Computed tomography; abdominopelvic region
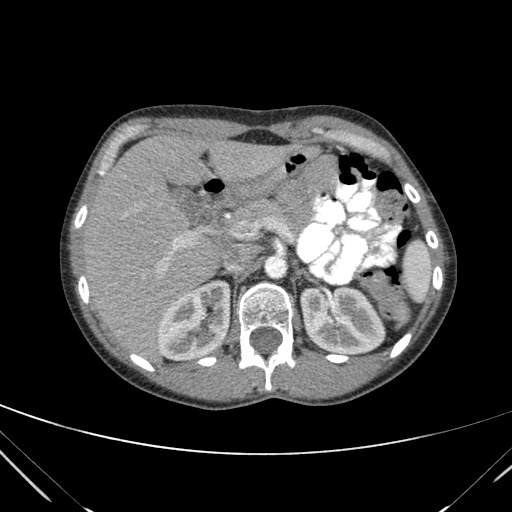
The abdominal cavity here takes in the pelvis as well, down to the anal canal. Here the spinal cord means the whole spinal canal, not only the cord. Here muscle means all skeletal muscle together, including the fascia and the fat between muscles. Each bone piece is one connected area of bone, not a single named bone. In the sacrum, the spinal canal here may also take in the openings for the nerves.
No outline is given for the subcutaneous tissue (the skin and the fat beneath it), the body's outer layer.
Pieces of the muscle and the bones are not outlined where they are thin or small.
{"torso":[[[206,410],[232,409],[271,398],[308,406],[350,401],[407,369],[442,324],[457,285],[451,231],[415,164],[391,132],[371,115],[329,103],[269,109],[156,104],[116,118],[92,149],[70,195],[59,237],[59,272],[69,310],[93,351],[123,380],[162,399]]],"spinal_cord":[[[261,354],[269,354],[272,351],[273,351],[280,343],[281,341],[281,334],[279,332],[279,331],[271,327],[260,327],[259,328],[257,328],[255,329],[251,333],[250,335],[250,343],[254,347],[254,348]]],"abdominal_cavity":[[[160,363],[193,361],[225,348],[239,297],[264,280],[289,293],[306,345],[348,355],[392,346],[423,305],[433,268],[423,229],[395,172],[339,142],[293,142],[265,130],[225,138],[172,129],[126,143],[88,210],[84,265],[90,298],[107,329],[131,351]]],"muscle":[{"outer":[[220,402],[231,401],[234,399],[244,399],[273,391],[285,391],[286,393],[291,396],[304,397],[308,399],[329,398],[350,392],[369,382],[378,375],[389,369],[396,363],[412,347],[413,344],[423,332],[425,327],[434,315],[440,303],[440,300],[445,288],[444,282],[446,277],[447,255],[445,252],[445,246],[443,243],[443,240],[433,218],[431,212],[431,207],[427,201],[426,194],[404,159],[399,152],[388,141],[377,135],[370,129],[354,122],[331,115],[313,115],[299,119],[285,120],[269,125],[247,125],[234,121],[224,120],[218,118],[204,118],[203,117],[189,117],[188,116],[178,116],[177,117],[176,116],[159,116],[158,117],[154,116],[139,116],[131,118],[120,124],[106,139],[95,157],[89,170],[87,178],[84,183],[84,186],[77,204],[72,214],[68,234],[69,239],[68,243],[69,260],[72,275],[74,277],[73,286],[77,301],[83,317],[94,335],[102,344],[104,348],[111,355],[115,357],[119,361],[136,370],[148,380],[166,389],[179,394],[207,401],[219,401]],"hole":[[267,391],[271,391],[275,366],[295,364],[295,307],[306,345],[325,351],[332,362],[389,346],[389,358],[393,358],[406,347],[412,335],[408,329],[430,286],[439,290],[443,280],[430,251],[437,248],[437,237],[432,229],[423,231],[413,207],[419,194],[389,166],[390,153],[384,146],[346,130],[314,127],[311,131],[324,138],[305,143],[265,130],[225,138],[173,129],[128,142],[149,126],[124,126],[110,141],[96,170],[105,177],[90,207],[83,204],[74,220],[76,229],[84,225],[86,274],[77,283],[81,299],[86,304],[92,299],[107,329],[131,351],[130,359],[151,372],[155,368],[150,361],[194,360],[213,365],[213,353],[225,348],[236,314],[239,367],[260,367]]}],"bones":[{"outer":[[267,391],[271,391],[270,377],[274,367],[281,363],[286,363],[293,367],[295,361],[292,358],[294,341],[292,302],[284,288],[264,281],[251,286],[244,292],[239,299],[237,313],[240,326],[239,367],[244,368],[252,365],[260,367],[265,374],[265,389]],"hole":[[261,354],[269,354],[272,351],[273,351],[280,343],[281,341],[281,334],[279,332],[279,331],[271,327],[260,327],[259,328],[257,328],[255,329],[251,333],[250,335],[250,343],[254,347],[254,348]]},[[387,163],[389,162],[390,159],[389,151],[384,146],[369,137],[352,133],[346,130],[325,130],[321,127],[314,127],[311,129],[312,132],[321,134],[325,139],[335,140],[354,147],[357,147],[364,151],[366,151],[368,153],[371,153],[372,155],[378,157]],[[100,176],[103,176],[107,173],[107,171],[111,166],[120,146],[130,138],[132,138],[136,135],[140,134],[147,129],[149,127],[147,124],[137,123],[131,125],[126,125],[114,136],[110,141],[108,147],[105,150],[98,166],[98,168],[96,170],[96,172]],[[389,358],[393,358],[397,356],[400,353],[401,353],[401,352],[406,347],[412,335],[410,331],[408,331],[406,332],[394,344],[394,345],[392,347],[390,351],[390,353],[389,354]],[[86,304],[89,303],[90,301],[90,299],[89,298],[89,290],[88,289],[87,281],[86,280],[85,275],[84,274],[81,274],[78,278],[78,282],[77,283],[77,288],[78,289],[78,292],[79,293],[79,295],[81,299],[83,301],[83,302]],[[151,372],[154,371],[155,370],[155,368],[146,359],[143,358],[140,355],[138,355],[133,352],[131,352],[129,354],[129,357],[130,358],[130,359],[134,363],[135,363],[137,365],[140,366],[142,368],[143,368],[148,371],[150,371]],[[76,229],[78,228],[80,228],[82,226],[85,220],[85,218],[87,214],[87,210],[88,209],[88,206],[87,204],[85,203],[83,204],[79,208],[78,211],[76,213],[76,215],[75,216],[75,219],[74,220],[74,227]],[[415,204],[416,203],[418,203],[420,200],[420,197],[419,196],[419,194],[417,192],[415,188],[410,183],[408,182],[404,182],[402,185],[403,186],[404,191],[406,193],[406,194],[408,196],[410,200],[413,203]]]}